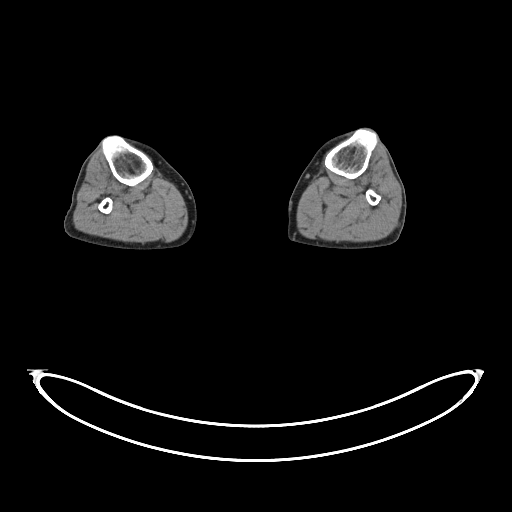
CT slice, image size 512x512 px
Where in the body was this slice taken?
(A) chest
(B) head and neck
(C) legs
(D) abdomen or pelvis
Answer: (C) legs
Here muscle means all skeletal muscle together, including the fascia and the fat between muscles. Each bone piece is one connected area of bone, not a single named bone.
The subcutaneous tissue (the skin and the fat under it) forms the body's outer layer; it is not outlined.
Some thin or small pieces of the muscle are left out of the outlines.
{"right_leg":[[[108,135],[125,136],[139,140],[152,146],[182,175],[188,183],[196,202],[197,221],[193,235],[185,244],[178,247],[165,249],[140,250],[121,249],[84,242],[74,239],[65,233],[63,228],[63,220],[71,202],[72,190],[80,167],[85,158],[98,142]]],"left_leg":[[[365,126],[370,127],[375,130],[389,150],[405,188],[407,201],[406,216],[404,226],[399,238],[394,243],[390,245],[362,249],[327,248],[291,241],[287,237],[287,222],[288,221],[287,207],[289,197],[300,174],[316,150],[328,139],[349,130],[353,130]]],"muscle":[{"outer":[[100,147],[111,174],[120,183],[133,187],[146,179],[154,168],[154,164],[149,155],[163,176],[177,187],[185,201],[188,211],[187,227],[178,239],[171,242],[123,242],[90,235],[81,232],[74,227],[73,213],[77,203],[77,193],[83,182],[87,165]],"hole":[[106,196],[108,196],[109,197],[110,197],[110,198],[112,200],[112,208],[111,209],[111,210],[109,213],[104,213],[103,212],[102,212],[101,211],[100,211],[98,208],[98,204],[100,202],[100,201],[103,198],[104,198]]},{"outer":[[378,142],[386,153],[392,172],[401,190],[401,208],[398,225],[393,231],[382,239],[367,242],[334,242],[318,238],[310,239],[298,233],[296,227],[297,205],[303,191],[317,171],[323,155],[326,152],[323,163],[327,169],[352,180],[360,176],[368,168]],"hole":[[368,188],[371,188],[372,189],[373,189],[378,194],[379,194],[381,196],[381,198],[380,199],[380,200],[378,202],[378,203],[377,204],[376,204],[375,205],[371,205],[367,201],[367,200],[366,199],[366,197],[365,196],[365,193],[366,192],[366,190]]}],"bones":[[[358,128],[368,128],[373,130],[378,136],[378,141],[372,151],[367,168],[357,177],[350,179],[344,176],[342,176],[339,174],[337,174],[327,168],[325,166],[325,164],[324,163],[324,158],[327,152],[331,148],[332,148],[341,141],[351,136],[352,134]],[[108,135],[119,135],[121,136],[128,143],[141,150],[149,157],[153,164],[153,168],[150,174],[146,178],[145,178],[136,185],[130,186],[120,182],[112,174],[112,172],[109,167],[109,165],[102,151],[102,147],[101,146],[101,141],[102,139]],[[368,188],[371,188],[372,189],[373,189],[378,194],[379,194],[381,196],[381,198],[380,199],[380,200],[378,202],[378,203],[377,204],[376,204],[375,205],[371,205],[367,201],[367,200],[366,199],[366,197],[365,196],[365,193],[366,192],[366,190]],[[106,196],[108,196],[109,197],[110,197],[110,198],[112,200],[112,208],[111,209],[111,210],[109,213],[104,213],[103,212],[102,212],[101,211],[100,211],[98,208],[98,204],[100,202],[100,201],[103,198],[104,198]]]}